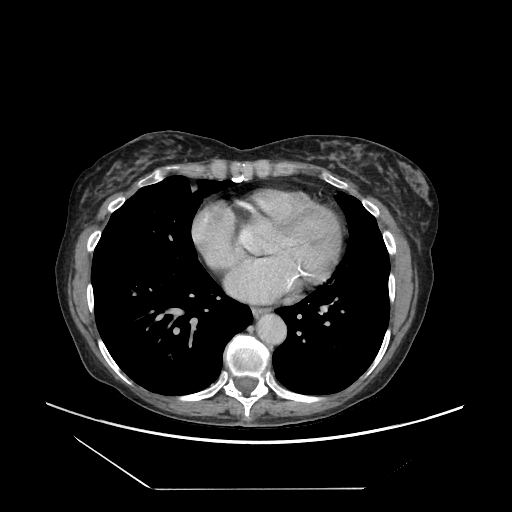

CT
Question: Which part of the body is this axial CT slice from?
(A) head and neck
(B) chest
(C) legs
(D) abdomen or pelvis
Answer: (B) chest
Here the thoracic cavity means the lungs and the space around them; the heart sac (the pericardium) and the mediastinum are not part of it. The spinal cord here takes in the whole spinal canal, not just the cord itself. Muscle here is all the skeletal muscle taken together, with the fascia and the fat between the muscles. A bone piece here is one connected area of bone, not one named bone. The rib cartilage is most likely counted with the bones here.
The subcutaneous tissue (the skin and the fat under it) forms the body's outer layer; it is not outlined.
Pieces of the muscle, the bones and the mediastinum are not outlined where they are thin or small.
{"torso":[[[161,130],[210,137],[239,149],[306,134],[356,136],[401,153],[426,174],[438,200],[438,225],[431,247],[433,283],[405,358],[373,397],[334,416],[298,425],[208,426],[145,410],[88,373],[63,318],[55,282],[70,192],[79,174],[99,157],[139,135]]],"thoracic_cavity":[[[169,175],[192,180],[227,177],[232,182],[202,199],[190,235],[197,259],[207,273],[226,294],[247,305],[251,313],[250,322],[225,344],[223,367],[217,378],[200,390],[177,395],[149,390],[122,371],[100,336],[91,282],[93,253],[111,214],[138,189]],[[340,191],[358,199],[375,218],[381,232],[389,259],[388,325],[371,363],[357,379],[345,388],[333,393],[307,394],[282,385],[272,370],[272,354],[284,341],[288,331],[286,322],[276,310],[299,302],[327,282],[345,254],[349,233],[345,216],[334,198]]],"mediastinum":[[[249,306],[250,307],[277,308],[275,311],[285,322],[286,329],[287,330],[286,332],[286,336],[283,341],[273,350],[272,353],[270,350],[255,336],[250,334],[246,334],[245,333],[242,333],[240,332],[241,332],[251,322],[251,320],[252,319],[252,313]],[[293,174],[306,174],[311,176],[315,176],[338,189],[344,190],[347,193],[340,190],[333,197],[332,194],[329,191],[324,189],[323,187],[321,187],[319,185],[316,185],[315,183],[296,179],[268,177],[267,178],[249,181],[254,177],[258,178],[266,178],[267,177],[269,176],[285,176]]],"muscle":[[[146,174],[137,181],[138,188],[133,194],[127,198],[119,194],[107,204],[106,211],[110,215],[103,229],[95,228],[86,240],[86,250],[92,254],[92,258],[90,281],[85,287],[85,298],[88,311],[94,316],[99,334],[96,338],[97,347],[106,363],[124,383],[132,385],[134,382],[154,393],[174,395],[182,402],[207,399],[223,389],[227,396],[242,404],[243,415],[248,420],[253,404],[270,390],[281,399],[309,404],[325,400],[324,395],[339,392],[360,377],[366,378],[382,359],[391,339],[392,330],[388,326],[390,305],[396,296],[396,277],[390,271],[389,256],[396,253],[396,240],[389,229],[385,228],[381,231],[376,219],[380,215],[379,207],[367,197],[362,196],[359,199],[348,193],[345,190],[349,186],[348,183],[333,174],[348,179],[386,206],[404,230],[414,250],[418,278],[415,314],[410,327],[387,364],[361,391],[340,405],[309,415],[260,417],[252,421],[216,416],[183,415],[167,411],[145,401],[116,380],[94,355],[71,316],[67,280],[71,254],[84,224],[94,219],[108,197],[125,190]],{"outer":[[213,157],[217,157],[220,159],[239,161],[233,161],[228,165],[222,160],[212,161],[208,166],[210,178],[194,178],[192,179],[183,174],[169,174],[168,175],[169,172],[171,171],[178,171],[181,168],[177,164],[174,164],[184,163],[185,162],[204,161]],"hole":[[195,166],[202,166],[204,168],[201,171],[200,171],[199,172],[194,172],[193,171],[189,171],[188,172],[185,172],[184,173],[182,171],[182,170],[184,168],[187,168],[188,167],[194,167]]},[[259,159],[269,159],[270,160],[284,159],[290,161],[304,162],[320,166],[328,170],[325,169],[322,170],[319,173],[319,177],[306,173],[293,173],[297,166],[293,163],[287,162],[276,163],[273,166],[274,167],[274,170],[273,170],[272,164],[267,159]]],"pericardium":[[[268,178],[296,180],[312,183],[329,192],[344,216],[348,233],[348,237],[346,240],[346,249],[331,277],[299,301],[293,304],[283,305],[279,307],[250,306],[230,296],[208,273],[200,262],[191,235],[191,228],[194,217],[205,198],[220,191],[247,182]]],"bones":[{"outer":[[238,333],[255,337],[269,350],[271,370],[282,386],[297,393],[323,395],[325,399],[309,403],[296,401],[281,398],[270,389],[252,404],[248,419],[243,404],[227,395],[223,388],[195,401],[177,399],[178,395],[208,387],[218,378],[224,367],[224,348]],"hole":[[244,376],[248,376],[249,377],[252,377],[253,378],[255,378],[257,380],[257,383],[256,384],[256,385],[255,386],[255,387],[247,395],[245,395],[240,390],[239,390],[236,387],[236,386],[235,385],[235,378],[236,377],[243,377]]},[[259,160],[267,160],[273,171],[276,164],[293,164],[296,166],[290,174],[274,175],[272,171],[266,177],[258,177],[254,174],[248,181],[233,182],[230,179],[230,172],[227,171],[224,178],[211,178],[209,166],[212,162],[222,161],[228,166],[233,162]],[[170,165],[177,165],[180,168],[178,170],[171,170],[169,171],[167,173],[167,175],[159,182],[149,184],[148,185],[145,185],[139,188],[138,187],[137,185],[138,181],[140,179],[148,175],[153,170],[156,168],[163,169],[166,166],[169,166]],[[98,337],[100,337],[101,338],[102,341],[107,348],[109,353],[111,355],[115,362],[118,365],[121,371],[123,373],[124,373],[127,376],[127,377],[133,382],[132,384],[127,384],[125,382],[124,382],[107,363],[98,347],[98,344],[97,343],[97,338]],[[388,327],[390,328],[391,330],[391,333],[390,334],[389,343],[384,354],[373,370],[366,377],[362,377],[361,376],[367,370],[369,366],[372,363],[374,358],[376,356],[381,345],[381,343],[383,340],[383,337],[385,334],[385,332]],[[324,170],[325,170],[326,171],[328,171],[330,173],[331,173],[335,177],[346,182],[348,185],[347,188],[346,189],[342,189],[341,188],[338,188],[337,187],[336,187],[335,186],[324,181],[322,179],[321,179],[320,178],[320,173]],[[385,229],[387,229],[388,230],[389,230],[392,233],[392,234],[394,237],[394,239],[395,240],[395,253],[392,255],[389,255],[389,254],[387,251],[387,249],[386,248],[386,246],[385,245],[385,243],[383,240],[383,237],[382,236],[382,231]],[[95,229],[100,229],[101,230],[102,230],[102,231],[101,232],[101,235],[100,236],[100,238],[97,242],[97,243],[93,250],[93,252],[92,253],[91,253],[87,250],[87,240],[88,239],[88,237],[89,236],[89,235]],[[362,197],[364,197],[365,198],[367,198],[369,200],[370,200],[373,203],[374,203],[378,207],[378,208],[379,209],[379,215],[378,216],[378,217],[377,217],[376,218],[373,215],[372,215],[363,206],[363,205],[361,203],[361,202],[360,201],[360,199]],[[119,195],[123,195],[124,196],[125,196],[126,197],[126,199],[125,200],[125,201],[122,204],[122,205],[120,207],[119,207],[117,209],[116,209],[113,212],[112,212],[111,213],[109,213],[107,211],[107,206],[108,205],[108,204],[113,199],[114,199]],[[390,272],[392,272],[393,273],[393,274],[394,275],[394,276],[395,277],[395,296],[394,297],[394,299],[393,300],[393,302],[391,304],[390,304],[390,300],[389,299],[389,293],[388,292],[388,277],[389,276],[389,273]],[[89,282],[90,282],[91,283],[91,284],[92,285],[92,288],[93,289],[93,313],[91,313],[89,311],[89,309],[88,308],[88,305],[87,304],[87,299],[86,298],[86,287],[87,286],[87,284]]],"spinal_cord":[[[244,376],[248,376],[249,377],[252,377],[253,378],[255,378],[257,380],[257,383],[256,384],[256,385],[255,386],[255,387],[247,395],[245,395],[240,390],[239,390],[236,387],[236,386],[235,385],[235,378],[236,377],[243,377]]]}